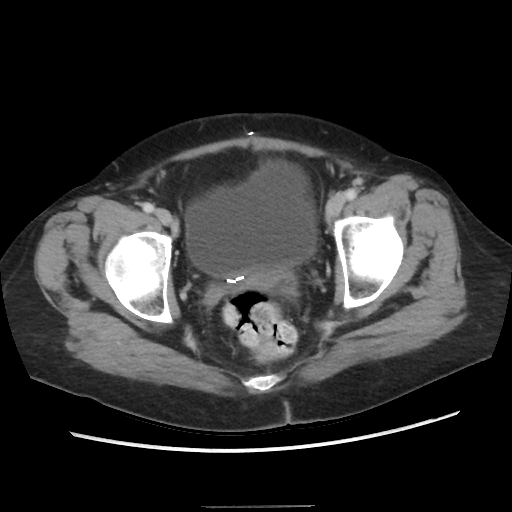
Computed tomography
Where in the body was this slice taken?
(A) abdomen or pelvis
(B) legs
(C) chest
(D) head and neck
(A) abdomen or pelvis
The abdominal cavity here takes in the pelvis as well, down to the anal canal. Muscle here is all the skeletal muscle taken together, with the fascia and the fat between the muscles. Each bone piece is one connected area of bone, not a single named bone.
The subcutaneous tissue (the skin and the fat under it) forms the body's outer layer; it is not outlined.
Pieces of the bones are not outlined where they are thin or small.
{"bones":[[[387,213],[390,213],[393,215],[395,227],[403,243],[403,256],[401,263],[389,284],[375,299],[364,305],[345,309],[342,306],[344,294],[344,277],[341,262],[338,257],[336,243],[333,235],[334,222],[339,218],[343,218],[350,215],[377,218],[381,217]],[[140,231],[155,231],[159,233],[167,233],[172,237],[171,261],[170,262],[170,269],[167,278],[167,301],[169,306],[169,310],[173,319],[172,323],[163,323],[148,320],[142,318],[130,311],[119,301],[105,276],[105,260],[106,257],[120,236],[128,235]],[[269,374],[276,374],[279,376],[284,376],[284,378],[281,381],[276,383],[273,386],[266,390],[260,390],[259,389],[256,389],[255,388],[251,389],[245,386],[242,383],[242,380],[247,380],[250,377],[252,377],[253,376],[258,376],[259,375],[268,375]]],"abdominal_cavity":[[[231,147],[256,151],[295,151],[308,157],[325,157],[336,164],[344,181],[343,203],[332,225],[333,300],[317,324],[306,349],[291,363],[274,370],[243,370],[217,358],[194,334],[183,315],[174,284],[173,237],[164,227],[153,203],[158,178],[168,164]]],"torso":[[[237,111],[289,111],[331,120],[366,135],[399,155],[419,161],[443,176],[483,223],[511,243],[507,303],[491,356],[360,413],[243,432],[202,431],[151,421],[32,379],[12,335],[3,297],[0,257],[13,239],[56,199],[86,182],[146,136],[184,120]]],"muscle":[{"outer":[[252,135],[315,146],[376,175],[412,175],[447,197],[461,249],[468,316],[455,329],[419,349],[358,363],[307,386],[292,385],[244,397],[133,380],[92,368],[70,354],[64,346],[66,318],[48,302],[33,272],[46,221],[84,197],[120,190],[171,155]],"holes":[[[231,147],[332,160],[345,188],[338,217],[390,213],[403,243],[401,263],[382,292],[345,309],[335,242],[331,305],[299,357],[274,370],[243,370],[202,344],[182,312],[172,249],[172,323],[130,311],[105,276],[120,236],[167,232],[153,203],[164,168]],[[269,374],[276,374],[279,376],[284,376],[284,378],[281,381],[276,383],[273,386],[266,390],[260,390],[259,389],[256,389],[255,388],[251,389],[245,386],[242,383],[242,380],[247,380],[250,377],[252,377],[253,376],[258,376],[259,375],[268,375]]]}]}